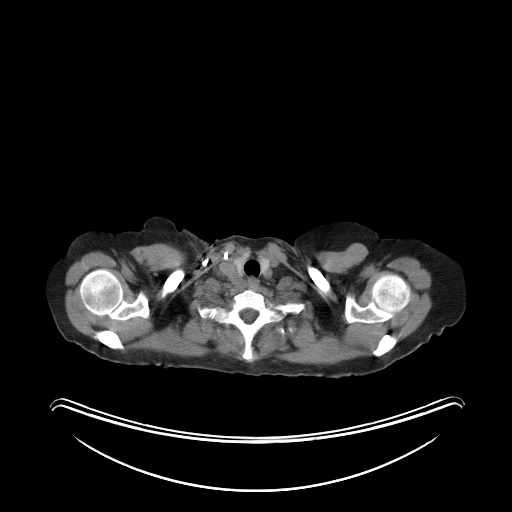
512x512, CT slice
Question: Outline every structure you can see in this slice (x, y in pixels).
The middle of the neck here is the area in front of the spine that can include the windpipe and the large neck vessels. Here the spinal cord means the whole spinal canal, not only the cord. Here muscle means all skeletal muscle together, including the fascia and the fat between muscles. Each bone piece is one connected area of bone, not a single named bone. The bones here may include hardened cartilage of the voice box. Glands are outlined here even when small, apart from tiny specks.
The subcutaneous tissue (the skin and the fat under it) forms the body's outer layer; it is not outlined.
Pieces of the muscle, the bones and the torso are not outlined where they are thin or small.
Answer: thyroid glands 1: [[243,254],[249,254],[249,255],[248,256],[247,259],[244,262],[244,263],[243,264],[243,266],[242,267],[242,273],[241,274],[241,275],[240,275],[239,276],[232,272],[232,271],[231,270],[231,260],[234,257],[237,257],[238,256],[240,256]]
thyroid glands 2: [[258,255],[262,255],[263,256],[265,256],[266,257],[267,257],[270,259],[270,265],[269,266],[269,271],[268,272],[268,274],[266,276],[265,276],[264,275],[263,275],[261,272],[261,267],[260,266],[260,263],[258,261]]
left arm: [[403,236],[412,236],[418,238],[452,255],[460,262],[465,275],[467,303],[463,315],[457,323],[452,326],[446,327],[440,335],[433,334],[429,341],[422,345],[403,336],[373,307],[367,297],[364,286],[365,268],[374,250],[385,238],[399,238]]
bones 1: [[245,289],[261,293],[266,300],[274,303],[302,302],[305,305],[299,313],[288,313],[282,320],[266,323],[260,328],[252,340],[253,360],[250,362],[242,357],[244,338],[234,325],[218,323],[210,318],[202,318],[197,310],[198,306],[225,306],[234,295]]; inner edge: [[248,308],[249,308],[250,309],[252,309],[253,310],[255,310],[257,312],[257,316],[254,319],[254,320],[251,323],[247,323],[246,322],[245,322],[241,318],[241,317],[240,316],[240,312],[242,310],[243,310],[244,309],[247,309]]
bones 2: [[98,268],[108,269],[116,276],[122,286],[124,293],[123,297],[127,302],[132,302],[138,293],[140,291],[143,291],[148,299],[149,316],[146,318],[136,316],[126,320],[115,320],[111,319],[107,315],[97,315],[89,311],[80,298],[79,285],[86,274]]
bones 3: [[386,272],[397,273],[401,275],[408,283],[411,289],[411,297],[408,304],[403,309],[396,313],[393,317],[383,322],[348,323],[344,316],[346,295],[352,294],[354,296],[356,302],[360,306],[362,307],[365,306],[370,301],[370,290],[372,285],[382,274]]
bones 4: [[106,329],[111,329],[112,330],[113,330],[118,335],[118,336],[124,347],[124,348],[122,350],[120,350],[119,349],[112,349],[111,348],[108,347],[103,343],[100,342],[95,338],[94,338],[94,333],[95,332],[95,331],[97,331],[98,330],[105,330]]
bones 5: [[177,268],[182,268],[184,270],[184,276],[183,278],[181,280],[181,281],[179,283],[177,287],[172,292],[167,294],[165,297],[163,298],[161,298],[160,297],[160,291],[162,288],[162,286],[165,280],[167,278],[167,277],[175,269]]
bones 6: [[308,264],[310,264],[316,267],[323,274],[324,277],[329,282],[330,284],[330,287],[331,288],[331,290],[329,294],[327,295],[323,295],[320,292],[318,287],[315,284],[315,283],[312,280],[312,279],[308,274],[308,272],[306,268]]
bones 7: [[384,334],[390,334],[391,335],[394,335],[395,336],[398,336],[399,335],[399,339],[396,343],[396,344],[389,351],[386,352],[384,354],[383,354],[380,356],[375,356],[372,354],[372,352],[376,348],[376,347],[378,344],[378,342],[379,341],[379,340]]
spinal cord: [[248,308],[249,308],[250,309],[252,309],[253,310],[255,310],[257,312],[257,316],[254,319],[254,320],[251,323],[247,323],[246,322],[245,322],[241,318],[241,317],[240,316],[240,312],[242,310],[243,310],[244,309],[247,309]]
torso: [[155,215],[209,242],[236,234],[273,236],[291,244],[299,234],[322,224],[355,221],[368,226],[384,238],[364,268],[366,297],[396,331],[421,345],[383,370],[339,378],[250,376],[103,360],[66,339],[91,330],[120,309],[130,272],[116,233],[140,230]]
muscle: [[190,241],[200,249],[275,242],[310,257],[360,242],[368,262],[416,258],[431,272],[432,306],[411,334],[399,341],[399,334],[384,333],[369,356],[332,365],[274,356],[251,362],[261,328],[306,305],[274,302],[250,288],[269,284],[280,263],[243,253],[219,271],[246,288],[225,305],[196,310],[240,332],[245,361],[218,353],[122,352],[113,329],[91,338],[69,321],[67,269],[91,251],[127,254],[157,242],[189,250]], around holes outlined by [[98,268],[108,269],[116,276],[122,286],[124,293],[123,297],[127,302],[132,302],[138,293],[140,291],[143,291],[148,299],[149,316],[146,318],[136,316],[126,320],[115,320],[111,319],[107,315],[97,315],[89,311],[80,298],[79,285],[86,274]] and by [[386,272],[397,273],[401,275],[408,283],[411,289],[411,297],[408,304],[403,309],[396,313],[393,317],[383,322],[348,323],[344,316],[346,295],[352,294],[354,296],[356,302],[360,306],[362,307],[365,306],[370,301],[370,290],[372,285],[382,274]] and by [[177,268],[182,268],[184,270],[184,276],[183,278],[181,280],[181,281],[179,283],[177,287],[172,292],[167,294],[165,297],[163,298],[161,298],[160,297],[160,291],[162,288],[162,286],[165,280],[167,278],[167,277],[175,269]] and by [[308,264],[310,264],[316,267],[323,274],[324,277],[329,282],[330,284],[330,287],[331,288],[331,290],[329,294],[327,295],[323,295],[320,292],[318,287],[315,284],[315,283],[312,280],[312,279],[308,274],[308,272],[306,268]]
right arm: [[90,230],[104,230],[108,232],[114,232],[120,240],[128,264],[128,271],[129,272],[128,289],[121,306],[111,317],[81,334],[65,339],[57,329],[47,303],[46,294],[45,293],[46,276],[52,264],[62,255],[68,245],[78,235]]
middle of the neck: [[250,254],[257,255],[257,261],[259,263],[260,272],[265,277],[269,274],[271,260],[277,260],[279,263],[279,268],[273,279],[269,283],[247,288],[233,283],[220,271],[220,267],[226,262],[230,261],[231,272],[239,277],[241,276],[243,273],[244,264]]